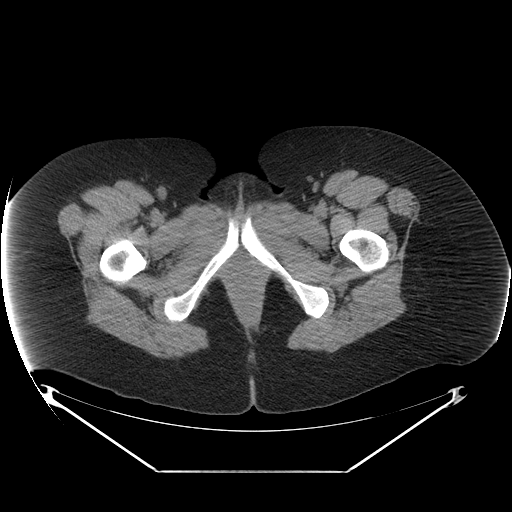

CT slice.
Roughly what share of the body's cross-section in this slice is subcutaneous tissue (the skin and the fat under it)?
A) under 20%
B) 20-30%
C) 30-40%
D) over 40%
Answer: D) over 40%
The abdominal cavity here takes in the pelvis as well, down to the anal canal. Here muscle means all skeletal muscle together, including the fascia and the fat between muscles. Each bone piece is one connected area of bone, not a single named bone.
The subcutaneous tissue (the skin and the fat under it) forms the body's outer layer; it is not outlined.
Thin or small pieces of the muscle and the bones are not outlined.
Outlines:
bones 1: [[247,216],[250,217],[259,239],[294,279],[321,286],[327,291],[329,303],[323,314],[319,318],[306,314],[291,285],[250,255],[241,244],[211,277],[188,316],[182,321],[170,321],[163,310],[166,298],[183,293],[196,281],[224,242],[229,218],[240,225]]
bones 2: [[355,228],[362,228],[363,229],[367,229],[373,231],[381,236],[386,241],[390,254],[389,255],[389,260],[384,267],[381,269],[378,269],[367,273],[362,271],[355,263],[351,261],[341,253],[338,246],[338,244],[341,238],[348,230],[350,229],[354,229]]
bones 3: [[121,239],[128,239],[131,241],[135,247],[145,257],[147,260],[147,264],[146,265],[146,267],[143,270],[135,274],[129,280],[125,282],[114,282],[113,281],[108,280],[103,275],[102,275],[99,269],[99,260],[103,250],[106,247],[112,243]]
muscle 1: [[348,168],[386,172],[420,203],[403,261],[401,292],[407,309],[383,327],[333,353],[290,349],[286,339],[304,313],[273,276],[266,284],[261,331],[253,343],[219,280],[209,285],[193,314],[195,323],[207,330],[210,345],[187,357],[153,356],[84,321],[82,276],[56,221],[62,199],[75,188],[100,178],[122,178],[143,185],[156,202],[174,209],[194,203],[246,208],[259,201],[285,201],[296,207],[319,193],[332,173]], around holes outlined by [[247,216],[259,239],[294,279],[327,291],[329,303],[323,314],[319,318],[306,314],[291,285],[264,265],[257,317],[245,323],[222,276],[230,256],[206,284],[188,316],[170,321],[163,310],[166,298],[183,293],[196,281],[224,242],[229,218],[240,225]] and by [[355,228],[362,228],[363,229],[367,229],[373,231],[381,236],[386,241],[390,254],[389,255],[389,260],[384,267],[381,269],[378,269],[367,273],[362,271],[355,263],[351,261],[341,253],[338,246],[338,244],[341,238],[348,230],[350,229],[354,229]] and by [[121,239],[128,239],[131,241],[135,247],[145,257],[147,260],[147,264],[146,265],[146,267],[143,270],[135,274],[129,280],[125,282],[114,282],[113,281],[108,280],[103,275],[102,275],[99,269],[99,260],[103,250],[106,247],[112,243]]
muscle 2: [[241,245],[247,251],[247,252],[249,254],[249,255],[248,254],[247,254],[246,253],[246,252],[245,251],[244,252],[239,252],[238,253],[236,253],[234,255],[233,255],[235,253],[235,252],[238,249],[238,248]]
abdominal cavity: [[245,252],[247,255],[255,258],[263,266],[263,269],[265,271],[265,278],[260,292],[259,310],[257,317],[254,322],[248,323],[245,323],[244,320],[242,319],[236,307],[236,304],[228,291],[227,284],[222,276],[224,266],[228,263],[230,259],[236,254]]
torso: [[309,125],[403,135],[445,160],[476,193],[511,270],[495,342],[482,356],[283,414],[254,406],[239,415],[194,413],[26,367],[4,303],[0,233],[10,200],[42,165],[96,140],[175,136],[209,149],[218,177],[248,171],[263,178],[256,163],[263,142]]